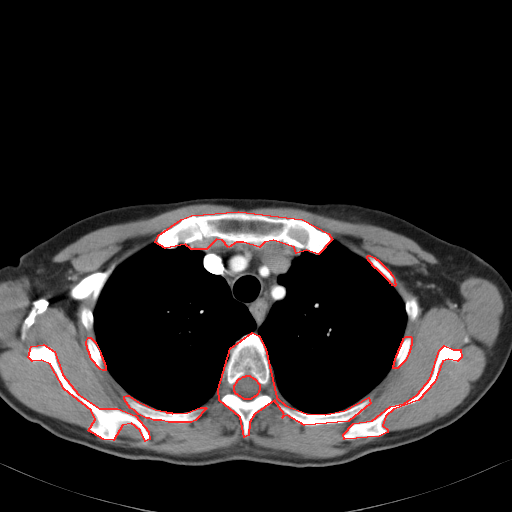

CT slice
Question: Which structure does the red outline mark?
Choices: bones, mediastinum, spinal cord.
Answer: red: bones.
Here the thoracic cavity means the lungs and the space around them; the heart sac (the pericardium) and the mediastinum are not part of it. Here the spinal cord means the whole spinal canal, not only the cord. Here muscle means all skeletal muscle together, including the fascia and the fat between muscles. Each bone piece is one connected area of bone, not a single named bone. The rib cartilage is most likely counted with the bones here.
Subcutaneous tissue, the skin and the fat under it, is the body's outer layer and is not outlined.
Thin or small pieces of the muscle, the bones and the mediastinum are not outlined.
Outlines:
bones 1: 238 211; 302 219; 328 233; 332 239; 318 254; 306 250; 296 253; 294 247; 273 240; 264 242; 259 247; 243 242; 236 242; 228 247; 222 240; 216 239; 206 249; 191 249; 185 244; 165 248; 155 242; 158 235; 181 219; 191 215
bones 2: 252 332; 258 335; 265 348; 276 397; 285 405; 306 413; 325 414; 344 410; 368 397; 370 403; 348 421; 304 425; 287 415; 282 417; 284 414; 274 400; 254 414; 249 422; 248 435; 244 437; 240 417; 219 400; 218 389; 230 348, around a hole outlined by 246 375; 249 375; 253 378; 254 378; 259 384; 259 390; 258 391; 257 394; 255 396; 254 396; 250 399; 244 399; 240 396; 239 396; 237 394; 236 394; 234 391; 234 385; 237 381; 237 380; 239 378; 240 378; 243 376; 245 376
bones 3: 43 344; 54 351; 62 374; 78 394; 99 408; 117 408; 135 415; 148 431; 149 439; 145 441; 140 430; 131 423; 122 425; 113 440; 103 439; 88 430; 95 419; 91 410; 64 389; 50 364; 41 360; 32 361; 28 357; 31 346
bones 4: 444 345; 453 349; 460 349; 461 357; 457 361; 448 359; 442 361; 434 382; 418 400; 393 409; 385 416; 382 425; 387 429; 387 432; 379 436; 344 439; 343 434; 353 423; 372 420; 390 406; 404 403; 417 394; 430 378; 439 350
bones 5: 126 395; 128 395; 137 401; 155 409; 165 411; 166 412; 171 412; 172 413; 187 412; 200 407; 205 407; 206 408; 195 420; 191 422; 168 422; 161 420; 153 420; 149 418; 146 418; 138 414; 134 410; 130 408; 124 399; 124 396
bones 6: 88 337; 90 337; 95 342; 100 352; 100 354; 102 357; 102 359; 104 362; 104 364; 105 365; 105 370; 102 370; 100 369; 91 359; 90 357; 90 355; 89 354; 89 352; 87 349; 87 346; 86 345; 86 341
bones 7: 406 336; 410 336; 411 337; 411 345; 410 346; 410 349; 409 350; 409 352; 408 353; 405 360; 397 368; 393 368; 393 365; 394 364; 394 361; 395 360; 396 355; 398 352; 398 350; 401 345; 401 343; 403 340; 403 338
bones 8: 368 255; 370 255; 374 257; 376 259; 377 259; 390 272; 390 273; 392 275; 394 279; 394 282; 395 283; 395 285; 394 286; 392 285; 392 284; 390 283; 390 282; 376 268; 375 268; 372 265; 372 264; 368 260; 367 258; 367 256
torso: 205 197; 358 204; 396 215; 469 249; 492 265; 511 287; 511 354; 504 368; 485 394; 451 424; 416 441; 322 467; 247 460; 197 466; 133 460; 63 439; 27 420; 0 398; 0 267; 16 264; 22 254; 37 244; 92 214; 131 204
mediastinum: 216 240; 228 248; 236 243; 259 248; 273 241; 294 248; 296 254; 300 253; 288 270; 278 276; 277 281; 285 288; 285 297; 271 306; 257 333; 254 332; 255 320; 248 308; 232 297; 225 279; 203 266; 204 253; 200 250; 206 250
muscle: 192 204; 239 209; 291 207; 404 235; 438 260; 425 266; 392 268; 417 296; 423 313; 434 306; 460 306; 460 284; 471 276; 491 281; 501 293; 503 312; 482 374; 463 401; 447 414; 326 458; 305 458; 263 448; 249 440; 189 455; 124 447; 100 441; 75 424; 26 406; 0 378; 0 282; 26 277; 36 298; 63 306; 70 282; 67 268; 65 263; 52 260; 63 248; 99 228; inner edges: 238 211; 302 219; 377 259; 401 299; 417 300; 405 360; 352 419; 304 425; 282 417; 274 400; 244 437; 217 390; 191 422; 153 420; 130 408; 129 394; 91 359; 86 341; 96 335; 81 312; 94 311; 116 268; 185 217, then 43 344; 54 351; 62 374; 78 394; 99 408; 117 408; 135 415; 148 431; 149 439; 145 441; 140 430; 131 423; 122 425; 113 440; 103 439; 88 430; 95 419; 91 410; 64 389; 50 364; 41 360; 32 361; 28 357; 31 346, then 444 345; 453 349; 460 349; 461 357; 457 361; 448 359; 442 361; 434 382; 418 400; 393 409; 385 416; 382 425; 387 429; 387 432; 379 436; 344 439; 343 434; 353 423; 372 420; 390 406; 404 403; 417 394; 430 378; 439 350
spinal cord: 246 375; 249 375; 253 378; 254 378; 259 384; 259 390; 258 391; 257 394; 255 396; 254 396; 250 399; 244 399; 240 396; 239 396; 237 394; 236 394; 234 391; 234 385; 237 381; 237 380; 239 378; 240 378; 243 376; 245 376
thoracic cavity 1: 152 243; 170 250; 185 245; 191 250; 201 251; 203 268; 224 279; 231 297; 247 308; 255 323; 253 331; 241 336; 229 348; 215 393; 198 407; 187 411; 166 411; 134 398; 106 367; 96 343; 93 312; 106 282; 118 266
thoracic cavity 2: 332 240; 339 242; 367 260; 394 287; 404 302; 407 321; 393 364; 366 395; 341 410; 311 413; 294 407; 278 391; 272 366; 258 330; 267 318; 272 306; 286 297; 287 291; 278 281; 279 276; 289 270; 293 261; 303 251; 318 255